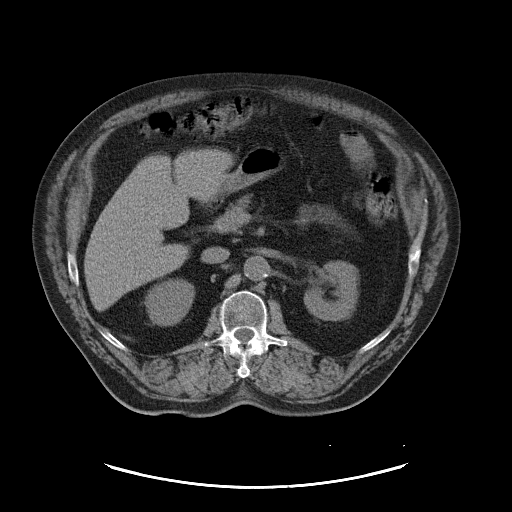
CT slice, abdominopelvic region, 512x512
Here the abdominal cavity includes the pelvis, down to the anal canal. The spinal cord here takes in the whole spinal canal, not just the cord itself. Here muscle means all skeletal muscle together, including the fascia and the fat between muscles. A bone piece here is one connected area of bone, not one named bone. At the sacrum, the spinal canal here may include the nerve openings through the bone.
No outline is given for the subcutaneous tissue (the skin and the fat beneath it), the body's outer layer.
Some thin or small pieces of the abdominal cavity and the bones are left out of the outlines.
{"spinal_cord":[[[240,329],[248,329],[249,330],[250,330],[251,331],[252,331],[252,332],[253,333],[253,335],[248,340],[247,340],[245,342],[242,342],[239,339],[238,339],[235,336],[235,335],[234,334],[235,333],[235,332],[236,331],[237,331],[238,330],[239,330]]],"muscle":[{"outer":[[230,86],[277,87],[291,90],[305,91],[345,101],[368,110],[384,119],[405,141],[420,154],[434,172],[443,190],[449,217],[448,239],[445,248],[445,253],[431,292],[408,338],[399,350],[386,362],[365,375],[343,393],[325,401],[315,403],[297,403],[283,401],[262,392],[252,384],[242,380],[229,387],[224,392],[215,397],[203,401],[187,402],[148,397],[137,390],[125,377],[116,370],[111,368],[102,359],[98,357],[84,342],[81,337],[79,329],[55,283],[51,264],[46,253],[46,244],[44,239],[47,213],[46,205],[49,190],[63,162],[68,156],[92,131],[97,128],[106,119],[115,113],[136,103],[142,102],[158,95],[163,95],[183,90]],"hole":[[242,90],[277,95],[369,127],[394,157],[410,243],[425,225],[419,266],[412,278],[406,275],[389,334],[362,353],[312,347],[288,329],[275,299],[268,301],[266,331],[288,343],[252,355],[247,377],[236,373],[238,357],[224,357],[218,345],[203,345],[222,333],[218,304],[194,341],[160,354],[124,351],[101,335],[98,329],[107,328],[94,319],[81,286],[69,278],[66,252],[77,257],[93,162],[109,134],[160,110]]}],"bones":[{"outer":[[239,290],[249,290],[262,298],[268,313],[266,331],[288,342],[285,346],[270,344],[266,352],[252,355],[247,360],[250,375],[244,378],[236,373],[240,364],[238,357],[230,354],[224,357],[218,345],[203,345],[204,341],[222,333],[220,305],[227,296]],"hole":[[240,329],[248,329],[249,330],[250,330],[251,331],[252,331],[252,332],[253,333],[253,335],[248,340],[247,340],[245,342],[242,342],[239,339],[238,339],[235,336],[235,335],[234,334],[235,333],[235,332],[236,331],[237,331],[238,330],[239,330]]},[[423,223],[424,223],[425,225],[425,228],[424,229],[424,233],[420,245],[421,253],[419,258],[419,266],[418,267],[417,273],[412,278],[411,278],[408,274],[408,266],[407,265],[408,263],[408,252],[409,251],[410,245],[414,240],[420,229],[421,225]],[[67,251],[70,251],[72,253],[73,253],[75,255],[75,257],[77,261],[77,268],[78,269],[78,277],[79,278],[79,285],[78,286],[76,286],[70,280],[69,278],[69,275],[68,274],[68,270],[67,269],[67,258],[66,257],[66,252]],[[386,328],[390,328],[391,329],[389,334],[386,337],[385,337],[380,342],[379,342],[375,346],[374,346],[372,348],[371,348],[362,353],[359,353],[358,352],[358,350],[364,344],[365,344],[371,339],[372,339],[374,337],[375,337],[384,329],[385,329]],[[98,329],[107,329],[116,338],[117,338],[124,345],[125,345],[128,348],[128,351],[124,351],[123,350],[122,350],[121,349],[120,349],[119,348],[118,348],[117,347],[114,346],[112,344],[111,344],[105,338],[104,338],[101,335],[101,334],[99,332]]],"torso":[[[208,71],[304,74],[367,91],[395,108],[421,133],[454,185],[460,209],[460,242],[441,304],[384,383],[350,408],[317,416],[278,415],[248,404],[205,417],[133,411],[102,385],[47,301],[34,260],[31,225],[38,183],[58,145],[88,113],[130,87]]],"abdominal_cavity":[[[242,90],[369,127],[394,157],[410,240],[407,274],[393,319],[358,349],[326,353],[312,347],[288,329],[277,300],[270,299],[268,309],[249,289],[233,291],[215,305],[194,341],[160,354],[128,347],[88,310],[77,251],[100,146],[118,128],[151,113]]]}